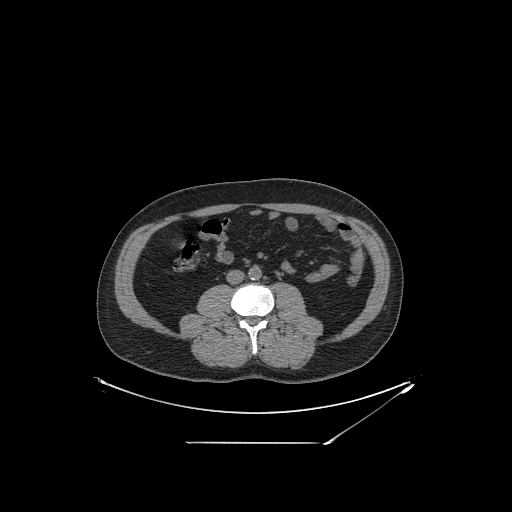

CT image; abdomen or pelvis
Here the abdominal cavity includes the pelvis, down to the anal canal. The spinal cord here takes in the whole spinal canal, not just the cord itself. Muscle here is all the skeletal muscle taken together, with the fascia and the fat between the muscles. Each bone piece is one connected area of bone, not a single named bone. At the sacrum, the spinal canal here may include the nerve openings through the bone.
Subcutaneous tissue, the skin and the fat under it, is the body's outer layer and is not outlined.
The torso is outlined by (261, 178) (296, 178) (336, 187) (362, 201) (385, 224) (398, 247) (404, 278) (400, 314) (389, 340) (369, 362) (355, 370) (296, 384) (259, 378) (222, 383) (189, 381) (159, 375) (118, 358) (100, 334) (95, 301) (103, 261) (121, 227) (145, 205) (172, 191) (200, 184). The spinal cord is outlined by (248, 316) (258, 316) (259, 317) (260, 317) (261, 318) (261, 319) (255, 325) (250, 325) (246, 321) (246, 320) (244, 318) (245, 317) (247, 317). The bones are outlined by (248, 283) (257, 283) (268, 286) (274, 296) (273, 308) (267, 315) (268, 322) (266, 326) (260, 329) (257, 333) (256, 354) (252, 354) (252, 343) (250, 336) (244, 328) (241, 328) (239, 326) (238, 315) (232, 309) (230, 305) (231, 298) (234, 291) (238, 287) with a hole at (248, 316) (258, 316) (259, 317) (260, 317) (261, 318) (261, 319) (255, 325) (250, 325) (246, 321) (246, 320) (244, 318) (245, 317) (247, 317). The abdominal cavity is outlined by (245, 206) (329, 215) (357, 231) (371, 259) (373, 282) (361, 311) (339, 332) (324, 336) (322, 321) (307, 313) (300, 290) (285, 281) (269, 286) (248, 282) (235, 289) (213, 285) (199, 296) (197, 312) (180, 317) (178, 331) (139, 301) (135, 268) (156, 231) (185, 218). The muscle is outlined by (243, 202) (305, 203) (324, 207) (345, 215) (353, 216) (371, 225) (385, 245) (390, 262) (390, 278) (383, 307) (379, 313) (355, 335) (338, 342) (318, 345) (311, 359) (300, 369) (268, 366) (257, 358) (252, 358) (242, 366) (233, 368) (220, 366) (210, 367) (204, 365) (194, 357) (187, 342) (168, 337) (157, 333) (152, 329) (142, 327) (132, 322) (123, 314) (116, 301) (114, 292) (115, 266) (123, 244) (135, 229) (169, 215) (212, 205); inner edge: (245, 206) (329, 215) (357, 231) (373, 282) (361, 311) (339, 332) (324, 336) (322, 321) (285, 281) (269, 286) (274, 305) (257, 333) (256, 354) (230, 305) (235, 290) (225, 283) (199, 296) (197, 312) (182, 315) (178, 331) (139, 301) (135, 268) (156, 231).